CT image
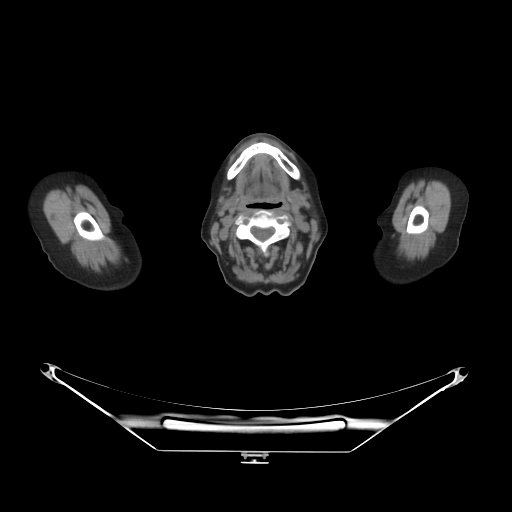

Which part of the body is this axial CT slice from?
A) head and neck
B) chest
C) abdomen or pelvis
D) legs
Answer: A) head and neck
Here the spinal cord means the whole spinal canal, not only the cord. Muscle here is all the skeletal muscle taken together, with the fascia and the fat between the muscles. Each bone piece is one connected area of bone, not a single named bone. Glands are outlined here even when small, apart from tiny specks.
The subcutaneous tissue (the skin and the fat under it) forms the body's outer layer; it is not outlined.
{"spinal_cord":[[[253,227],[257,227],[258,228],[261,228],[262,229],[265,229],[266,228],[269,228],[271,227],[273,228],[274,231],[273,233],[269,237],[268,237],[264,240],[261,240],[257,238],[252,233],[251,231],[251,229]]],"muscle":[{"outer":[[256,136],[265,136],[274,139],[278,141],[286,149],[294,154],[304,171],[305,178],[312,194],[313,203],[319,217],[320,234],[318,239],[313,246],[311,254],[308,260],[300,270],[299,276],[295,280],[286,284],[245,283],[242,281],[237,280],[224,264],[224,262],[216,248],[210,242],[209,229],[212,221],[212,217],[216,207],[216,202],[218,197],[219,189],[222,182],[222,177],[224,173],[225,166],[230,156],[241,144]],"holes":[[[256,203],[279,204],[268,209],[275,216],[286,214],[290,221],[289,235],[272,243],[267,249],[267,255],[264,255],[251,241],[247,239],[240,239],[236,235],[237,225],[235,223],[235,219],[239,214],[247,217],[251,216],[261,208],[250,206],[251,204]],[[259,141],[266,142],[277,147],[298,168],[300,171],[300,177],[299,179],[296,180],[292,178],[279,165],[277,161],[269,154],[266,153],[258,153],[252,156],[246,162],[241,170],[232,179],[228,180],[226,178],[226,172],[239,156],[241,152],[251,144]],[[295,190],[298,190],[299,193],[301,195],[304,196],[304,197],[306,200],[306,201],[304,204],[303,204],[302,205],[297,205],[296,204],[295,204],[294,203],[294,202],[291,199],[290,196],[291,195],[292,192]],[[232,196],[235,199],[235,200],[236,201],[236,202],[235,203],[235,204],[234,204],[232,206],[232,207],[231,207],[230,208],[227,208],[226,209],[225,208],[223,208],[223,206],[224,205],[224,203],[225,202],[225,201],[226,201],[228,199],[229,199]]]},{"outer":[[66,183],[80,183],[86,185],[95,193],[107,210],[111,219],[114,234],[119,243],[124,248],[130,259],[130,262],[128,265],[110,273],[105,274],[96,273],[77,264],[68,252],[65,246],[59,241],[44,215],[42,210],[42,201],[46,192],[57,185]],"hole":[[79,211],[86,211],[93,217],[93,218],[98,224],[102,233],[104,235],[104,238],[103,239],[101,239],[100,240],[88,240],[87,239],[82,237],[78,233],[78,232],[76,229],[76,227],[74,224],[74,222],[73,221],[73,218],[74,217],[74,216]]},{"outer":[[420,178],[424,178],[427,180],[439,179],[447,184],[451,192],[451,210],[446,228],[442,235],[438,238],[434,249],[430,251],[428,256],[419,262],[405,262],[397,258],[391,250],[391,218],[404,187],[411,181],[416,181]],"hole":[[416,205],[422,205],[424,207],[425,207],[429,213],[429,216],[428,217],[427,228],[423,232],[421,233],[416,233],[415,234],[412,234],[411,233],[408,233],[406,231],[406,228],[407,227],[407,222],[409,218],[409,215],[410,214],[410,212]]}],"submandibular_glands":[[[295,190],[298,190],[299,193],[301,195],[304,196],[304,197],[306,200],[306,201],[304,204],[303,204],[302,205],[297,205],[296,204],[295,204],[294,203],[294,202],[291,199],[290,196],[291,195],[292,192]],[[232,196],[235,199],[235,200],[236,201],[236,202],[235,203],[235,204],[234,204],[232,206],[232,207],[231,207],[230,208],[227,208],[226,209],[225,208],[223,208],[223,206],[224,205],[224,203],[225,202],[225,201],[226,201],[228,199],[229,199]]],"right_arm":[[[62,168],[74,168],[91,175],[104,191],[109,201],[123,211],[123,222],[135,236],[144,258],[143,269],[139,278],[128,288],[114,292],[104,292],[86,288],[67,279],[59,273],[42,251],[26,216],[27,197],[34,183],[42,175],[49,171]]],"left_arm":[[[424,165],[437,165],[445,167],[457,174],[467,186],[469,192],[469,203],[460,234],[459,245],[453,257],[445,265],[437,269],[423,280],[406,287],[390,287],[378,278],[372,267],[371,248],[374,242],[381,235],[376,218],[389,204],[399,177],[408,169]]],"bones":[{"outer":[[261,208],[270,210],[275,216],[286,214],[290,221],[289,235],[283,239],[272,243],[267,249],[267,255],[264,255],[260,249],[251,241],[247,239],[240,239],[236,235],[237,225],[235,223],[235,219],[237,216],[239,214],[242,214],[249,217],[258,209]],"hole":[[253,227],[257,227],[258,228],[261,228],[262,229],[265,229],[266,228],[269,228],[271,227],[273,228],[274,231],[273,233],[269,237],[268,237],[264,240],[261,240],[257,238],[252,233],[251,231],[251,229]]},[[259,141],[266,142],[277,147],[298,168],[300,171],[300,177],[299,179],[296,180],[292,178],[279,165],[277,161],[269,154],[266,153],[258,153],[252,156],[246,162],[241,170],[232,179],[228,180],[226,178],[226,172],[239,156],[241,152],[251,144]],[[79,211],[86,211],[93,217],[93,218],[98,224],[102,233],[104,235],[104,238],[103,239],[101,239],[100,240],[88,240],[87,239],[82,237],[78,233],[78,232],[76,229],[76,227],[74,224],[74,222],[73,221],[73,218],[74,217],[74,216]],[[416,205],[422,205],[424,207],[425,207],[429,213],[429,216],[428,217],[427,228],[423,232],[421,233],[416,233],[415,234],[412,234],[411,233],[408,233],[406,231],[406,228],[407,227],[407,222],[409,218],[409,215],[410,214],[410,212]]],"head_and_neck":[{"outer":[[254,132],[267,132],[277,136],[309,163],[317,176],[320,198],[328,221],[327,235],[317,252],[305,283],[287,296],[273,292],[269,295],[257,293],[248,297],[231,289],[224,281],[214,254],[200,236],[201,222],[210,198],[210,182],[216,169],[240,139]],"hole":[[256,203],[268,203],[269,204],[279,204],[279,205],[278,205],[277,206],[274,206],[273,207],[270,207],[269,208],[264,208],[263,207],[252,207],[251,206],[250,206],[250,205],[251,204],[255,204]]}]}